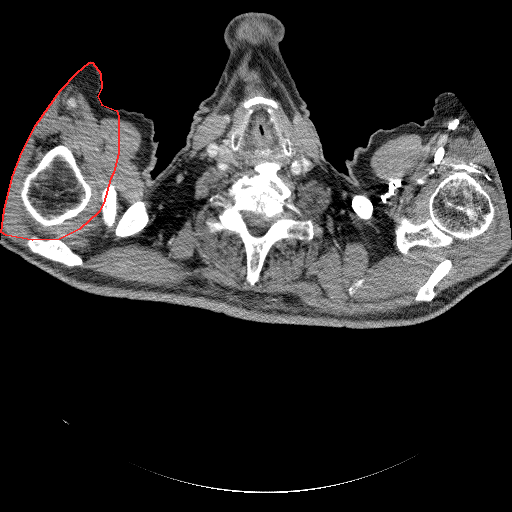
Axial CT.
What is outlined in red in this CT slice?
red: right arm.
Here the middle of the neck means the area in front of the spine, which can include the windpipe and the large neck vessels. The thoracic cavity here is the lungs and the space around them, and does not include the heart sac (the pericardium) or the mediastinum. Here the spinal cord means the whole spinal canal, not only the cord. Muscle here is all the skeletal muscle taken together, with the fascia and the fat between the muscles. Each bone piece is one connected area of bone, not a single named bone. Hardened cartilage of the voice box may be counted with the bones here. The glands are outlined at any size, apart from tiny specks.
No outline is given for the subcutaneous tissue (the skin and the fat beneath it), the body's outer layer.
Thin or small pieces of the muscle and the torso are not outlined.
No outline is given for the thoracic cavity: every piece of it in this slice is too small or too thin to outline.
Outlined structures:
right arm: [[89,62],[92,62],[100,73],[101,88],[97,96],[101,104],[116,110],[118,116],[118,152],[113,173],[110,178],[103,203],[98,212],[79,229],[59,239],[32,240],[6,235],[1,232],[4,210],[12,177],[22,151],[36,124],[60,90],[77,72]]
left arm: [[445,91],[453,93],[469,114],[493,160],[501,183],[507,208],[508,227],[511,230],[511,264],[501,273],[498,273],[476,261],[446,238],[433,224],[421,194],[417,176],[417,150],[420,136],[427,118],[430,117],[433,113],[432,107],[434,104],[435,97]]
head and neck: [[246,12],[271,14],[285,28],[283,39],[279,44],[280,51],[305,102],[309,118],[315,126],[320,140],[314,149],[297,161],[258,163],[225,159],[207,149],[195,133],[193,116],[202,101],[214,90],[228,58],[229,51],[223,37],[224,30],[232,18]]
thyroid glands: [[223,147],[226,147],[227,148],[228,148],[229,149],[229,150],[234,154],[234,155],[235,156],[235,159],[236,160],[236,165],[234,165],[233,164],[231,164],[230,163],[229,163],[226,160],[225,160],[224,159],[221,159],[220,158],[219,158],[219,151]]
middle of the neck: [[258,105],[264,106],[282,154],[294,153],[290,133],[308,155],[311,168],[307,173],[283,179],[278,174],[281,163],[268,159],[257,161],[252,174],[241,176],[214,164],[212,153],[229,134],[228,147],[218,151],[218,158],[237,165],[230,150],[240,149]]
bones 1: [[261,160],[280,163],[277,174],[301,212],[291,215],[310,219],[315,233],[308,241],[277,241],[263,262],[259,280],[251,286],[246,280],[241,238],[227,229],[211,232],[205,221],[217,219],[223,211],[210,197],[227,197],[232,184],[243,174],[252,175]]; inner edge: [[242,211],[249,211],[255,214],[259,214],[260,215],[262,215],[263,216],[263,218],[265,220],[267,220],[268,221],[271,221],[270,223],[270,225],[267,229],[267,230],[263,234],[259,236],[255,236],[251,234],[244,220],[244,218],[242,214]]
bones 2: [[456,172],[469,172],[489,194],[494,206],[491,223],[485,231],[474,237],[455,238],[447,246],[434,248],[416,245],[410,248],[407,254],[403,254],[396,245],[394,214],[400,214],[415,224],[427,220],[430,217],[428,202],[431,194],[441,180],[450,173]]
bones 3: [[58,144],[65,145],[71,150],[75,158],[76,164],[84,179],[89,184],[91,188],[91,195],[85,208],[79,212],[77,215],[66,219],[61,224],[45,226],[32,217],[26,209],[21,198],[21,190],[26,176],[36,167],[38,162],[44,154],[49,149]]
bones 4: [[109,183],[112,183],[116,186],[118,202],[116,217],[118,219],[135,202],[142,200],[147,203],[146,206],[148,213],[148,220],[147,223],[140,231],[126,237],[119,237],[116,236],[113,231],[104,224],[101,218],[101,205],[102,204],[101,194],[103,189]]
bones 5: [[257,95],[278,102],[280,108],[276,109],[275,113],[289,133],[292,155],[286,156],[283,154],[278,134],[269,120],[269,115],[263,104],[254,106],[239,149],[236,151],[230,149],[228,145],[230,132],[246,112],[244,108],[237,112],[236,109],[242,101]]
bones 6: [[34,235],[45,239],[52,238],[53,237],[56,237],[60,239],[74,252],[81,257],[83,261],[83,263],[85,266],[83,267],[80,267],[79,266],[67,267],[59,262],[53,261],[41,255],[39,255],[36,253],[32,252],[27,245],[27,241]]
bones 7: [[444,259],[449,259],[451,261],[452,266],[448,273],[446,274],[434,287],[434,290],[437,293],[436,295],[430,301],[428,301],[427,302],[415,302],[413,299],[416,294],[417,290],[420,286],[421,286],[426,281],[434,267],[441,260],[443,260]]
bones 8: [[354,194],[360,194],[361,195],[363,195],[370,201],[370,202],[373,207],[373,210],[372,211],[372,215],[370,218],[369,218],[368,219],[363,219],[362,218],[361,218],[352,208],[352,206],[351,205],[351,197],[352,196],[352,195],[353,195]]
bones 9: [[362,278],[363,278],[364,279],[364,281],[362,283],[362,284],[359,287],[358,287],[356,289],[355,292],[352,295],[349,295],[349,294],[348,293],[348,289],[349,288],[349,287],[354,282],[355,282],[357,280],[358,280],[359,279],[361,279]]
muscle: [[248,18],[270,28],[263,55],[311,126],[333,187],[368,182],[369,158],[383,142],[429,135],[443,118],[466,110],[504,194],[511,230],[505,255],[436,297],[453,266],[441,259],[412,299],[423,303],[337,316],[137,286],[56,264],[86,266],[56,236],[32,235],[30,251],[12,241],[2,226],[18,160],[72,78],[98,119],[126,120],[141,131],[133,162],[155,198],[191,174],[196,130],[230,85],[244,54],[236,29]]; inner edges: [[257,95],[278,102],[275,111],[311,161],[307,173],[283,181],[301,212],[292,217],[310,219],[315,233],[277,241],[251,286],[241,238],[211,232],[205,221],[223,211],[210,197],[227,197],[240,177],[218,168],[212,153],[246,112],[236,112],[241,102]], then [[456,172],[469,172],[489,194],[494,206],[491,223],[485,231],[474,237],[455,238],[447,246],[434,248],[416,245],[410,248],[407,254],[403,254],[396,245],[394,214],[400,214],[415,224],[427,220],[430,217],[428,202],[431,194],[441,180],[450,173]], then [[58,144],[65,145],[71,150],[75,158],[76,164],[84,179],[89,184],[91,188],[91,195],[85,208],[79,212],[77,215],[66,219],[61,224],[45,226],[32,217],[26,209],[21,198],[21,190],[26,176],[36,167],[38,162],[44,154],[49,149]], then [[109,183],[112,183],[116,186],[118,202],[116,217],[118,219],[135,202],[142,200],[147,203],[146,206],[148,213],[148,220],[147,223],[140,231],[126,237],[119,237],[116,236],[113,231],[104,224],[101,218],[101,205],[102,204],[101,194],[103,189]], then [[354,194],[360,194],[361,195],[363,195],[370,201],[370,202],[373,207],[373,210],[372,211],[372,215],[370,218],[369,218],[368,219],[363,219],[362,218],[361,218],[352,208],[352,206],[351,205],[351,197],[352,196],[352,195],[353,195]], then [[362,278],[363,278],[364,279],[364,281],[362,283],[362,284],[359,287],[358,287],[356,289],[355,292],[352,295],[349,295],[349,294],[348,293],[348,289],[349,288],[349,287],[354,282],[355,282],[357,280],[358,280],[359,279],[361,279]]
spinal cord: [[242,211],[249,211],[255,214],[259,214],[260,215],[262,215],[263,216],[263,218],[265,220],[267,220],[268,221],[271,221],[270,223],[270,225],[267,229],[267,230],[263,234],[259,236],[255,236],[251,234],[244,220],[244,218],[242,214]]
torso: [[121,108],[153,120],[152,177],[185,145],[191,123],[225,160],[289,164],[321,143],[346,174],[346,159],[374,131],[425,120],[416,176],[427,214],[499,274],[435,318],[369,329],[253,322],[70,287],[1,246],[1,233],[55,241],[99,212],[119,152]]